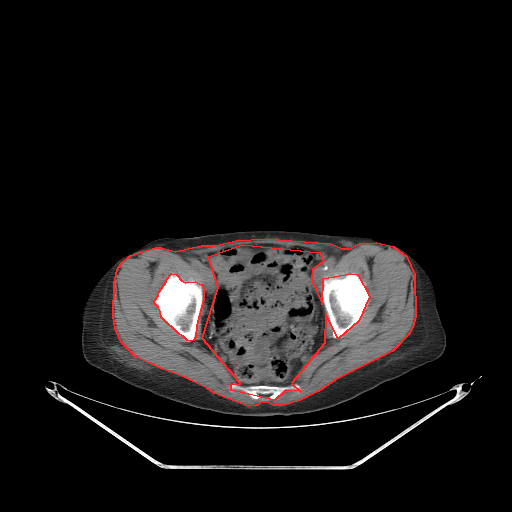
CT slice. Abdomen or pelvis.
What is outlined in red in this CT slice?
red: muscle.
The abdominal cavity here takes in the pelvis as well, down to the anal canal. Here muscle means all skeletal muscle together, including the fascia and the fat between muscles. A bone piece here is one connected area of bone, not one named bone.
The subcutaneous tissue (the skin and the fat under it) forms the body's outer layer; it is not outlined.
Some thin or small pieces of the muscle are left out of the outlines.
muscle: 265,238 330,243 342,248 349,248 359,243 376,242 393,246 406,256 414,274 415,316 412,327 408,334 392,351 334,380 318,391 300,400 283,405 273,405 267,402 261,402 256,405 248,406 214,393 207,388 182,376 160,368 135,356 121,342 115,328 113,316 114,283 117,269 121,263 130,255 155,247 161,247 175,251 201,245 215,245 236,240 with holes at 242,244 319,252 323,261 312,269 311,280 322,304 323,278 350,273 357,274 369,296 358,321 338,338 325,313 324,343 291,383 300,391 285,390 274,400 231,390 231,384 240,383 202,338 218,287 208,256 and at 171,273 176,274 181,280 185,282 195,281 201,284 203,289 203,299 196,325 195,337 193,340 190,341 187,340 183,336 179,334 161,317 160,311 158,307 154,303 154,300 158,295 159,291 166,281 166,279
bones 1: 350,273 357,274 363,282 365,287 367,289 369,300 365,310 358,321 343,335 338,338 334,338 332,335 330,320 327,315 322,299 322,294 321,293 322,280 323,278 327,278 328,277 331,277 332,278 343,278
bones 2: 171,273 176,274 181,280 185,282 195,281 201,284 203,289 203,299 196,325 195,337 193,340 190,341 187,340 183,336 179,334 161,317 160,311 158,307 154,303 154,300 158,295 159,291 166,281 166,279
bones 3: 233,383 236,383 243,386 250,386 251,385 286,386 292,384 298,384 300,386 300,391 298,392 295,389 285,390 274,400 269,399 267,395 261,395 259,398 254,399 242,390 239,389 231,390 229,388 229,386
torso: 259,229 368,236 403,249 423,267 433,284 437,308 446,334 446,346 442,355 431,362 333,407 302,414 269,416 234,415 197,408 133,386 89,364 81,350 81,311 94,285 121,257 158,238 192,237 212,233
abdominal cavity: 242,244 302,246 316,250 322,256 322,263 316,265 312,269 311,280 325,312 324,343 318,351 305,360 294,380 286,385 241,384 224,362 205,344 202,338 205,313 218,287 216,277 208,265 208,256 213,251